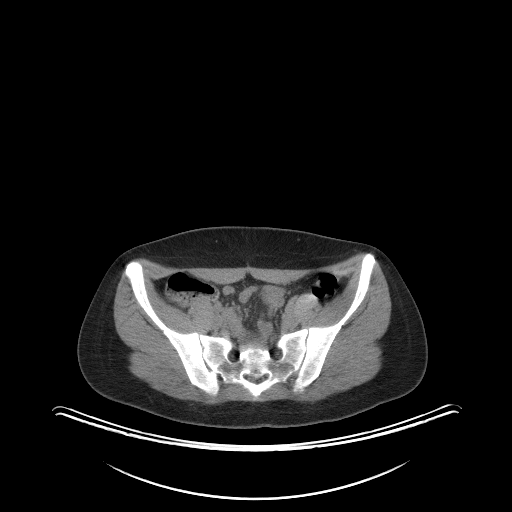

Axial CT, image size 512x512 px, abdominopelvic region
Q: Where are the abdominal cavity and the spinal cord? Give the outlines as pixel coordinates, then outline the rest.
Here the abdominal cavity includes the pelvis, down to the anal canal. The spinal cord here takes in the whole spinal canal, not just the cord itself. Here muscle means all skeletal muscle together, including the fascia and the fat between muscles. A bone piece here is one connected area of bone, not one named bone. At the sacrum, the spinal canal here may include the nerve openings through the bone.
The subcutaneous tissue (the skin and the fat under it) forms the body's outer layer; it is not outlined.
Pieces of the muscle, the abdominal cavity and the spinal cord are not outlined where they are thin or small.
A: {"abdominal_cavity":[[[174,272],[217,284],[235,283],[249,275],[288,285],[316,272],[347,280],[324,305],[310,292],[298,297],[293,315],[301,327],[282,332],[270,350],[253,342],[237,349],[228,336],[208,334],[214,306],[207,299],[196,297],[186,311],[164,300],[154,282]]],"spinal_cord":[[[274,347],[277,347],[281,351],[281,355],[278,358],[274,358],[271,355],[271,350]],[[234,349],[236,349],[238,351],[238,354],[237,355],[237,358],[235,360],[231,360],[228,357],[228,353],[230,351],[231,351],[232,350],[233,350]]],"torso":[[[222,225],[298,229],[362,242],[380,249],[401,275],[424,324],[428,361],[420,383],[399,398],[355,415],[336,421],[285,428],[231,429],[182,423],[112,401],[96,392],[81,373],[77,360],[77,339],[87,308],[109,266],[121,253],[136,245],[181,231]]],"bones":[{"outer":[[366,252],[376,260],[368,289],[319,375],[302,392],[292,390],[291,377],[258,396],[238,383],[220,381],[216,395],[193,385],[124,273],[129,261],[141,264],[148,299],[168,327],[228,337],[231,361],[247,343],[278,359],[282,333],[332,325],[344,315]],"hole":[[246,376],[251,376],[252,377],[254,377],[255,378],[260,378],[261,377],[265,377],[265,378],[263,380],[262,380],[260,382],[259,382],[258,383],[255,383],[254,382],[252,382],[251,381],[250,381],[249,380],[248,380],[246,378]]}],"muscle":[[[377,260],[390,293],[390,323],[379,341],[383,350],[382,367],[373,378],[359,385],[314,402],[280,399],[261,402],[227,401],[211,405],[167,395],[150,387],[128,369],[129,349],[119,338],[113,320],[115,291],[124,267],[123,273],[137,303],[174,348],[193,386],[216,396],[220,390],[220,382],[238,384],[253,397],[258,397],[273,385],[286,383],[291,378],[291,390],[294,393],[302,393],[320,375],[336,336],[366,296]],[[358,252],[365,252],[351,302],[343,315],[328,325],[302,327],[294,311],[297,299],[304,293],[315,295],[324,306],[343,291],[348,278],[331,271],[312,272],[288,284],[259,280],[249,274],[235,282],[217,283],[187,271],[174,271],[156,279],[155,289],[163,300],[184,312],[196,298],[205,299],[213,306],[207,333],[181,332],[168,326],[149,299],[142,264],[132,259],[144,257],[177,268],[249,265],[305,269],[330,265]]]}